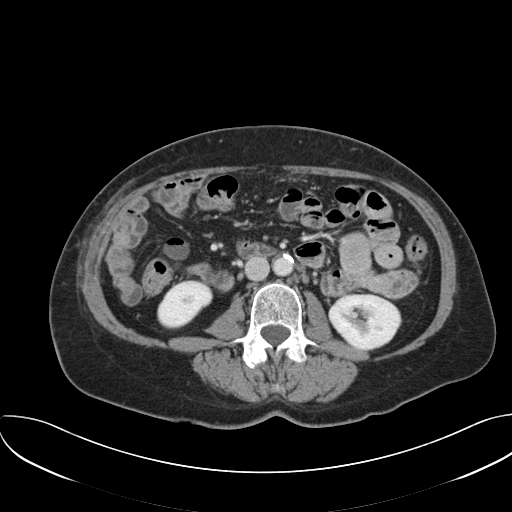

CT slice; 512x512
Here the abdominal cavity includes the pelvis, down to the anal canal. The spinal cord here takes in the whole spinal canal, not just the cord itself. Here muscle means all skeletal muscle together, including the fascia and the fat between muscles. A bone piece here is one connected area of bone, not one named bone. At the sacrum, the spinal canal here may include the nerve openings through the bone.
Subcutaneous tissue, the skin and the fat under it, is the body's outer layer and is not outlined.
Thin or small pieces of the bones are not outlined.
The bones are outlined by 272,282 283,283 297,292 302,303 301,323 304,334 319,346 308,344 304,350 306,359 302,362 291,360 282,353 276,360 270,355 266,361 251,368 242,358 242,344 239,342 228,343 246,333 254,294 259,288, around a hole outlined by 270,325 280,325 281,326 283,326 287,328 289,330 289,334 288,336 280,343 276,345 273,345 271,343 267,341 262,336 261,334 261,330 262,328 266,326 269,326. The abdominal cavity is outlined by 269,169 377,182 417,211 440,260 437,308 419,335 371,355 334,337 312,291 299,294 278,281 256,290 248,316 244,299 234,298 207,327 210,337 164,341 117,319 105,299 100,269 108,241 132,204 181,178. The spinal cord is outlined by 270,325 280,325 281,326 283,326 287,328 289,330 289,334 288,336 280,343 276,345 273,345 271,343 267,341 262,336 261,334 261,330 262,328 266,326 269,326. The torso is outlined by 261,124 319,128 367,142 407,165 443,198 471,240 495,319 495,347 480,371 388,413 331,427 305,427 279,416 239,429 174,422 94,398 68,381 50,335 48,297 62,248 89,202 121,170 161,146 213,129. The muscle is outlined by 255,164 328,166 335,168 343,168 349,170 355,170 398,182 411,191 424,198 435,209 441,217 449,233 452,242 452,245 455,254 455,258 456,259 457,290 455,293 455,297 454,298 452,309 449,314 447,321 426,344 420,346 417,349 412,350 405,354 399,355 380,362 365,362 362,363 361,365 359,366 359,371 357,376 349,387 337,398 328,403 298,404 286,400 277,395 274,395 263,402 260,402 259,403 248,403 247,402 236,401 228,397 223,396 212,390 210,390 207,386 201,381 198,375 196,374 192,369 191,365 183,354 169,349 162,349 157,347 146,347 142,345 132,343 129,341 122,339 108,331 94,318 93,315 89,310 86,301 83,296 83,278 84,277 85,253 90,238 103,216 119,198 134,189 146,183 148,183 158,177 167,175 174,172 177,172 182,170 187,170 188,169 193,169 194,168 200,168 201,167 254,165 with a hole at 269,169 377,182 417,211 440,260 437,308 419,335 371,355 334,337 303,290 302,328 319,346 302,362 282,353 251,368 242,344 228,343 249,326 241,296 210,337 164,341 117,319 100,269 132,204 181,178.